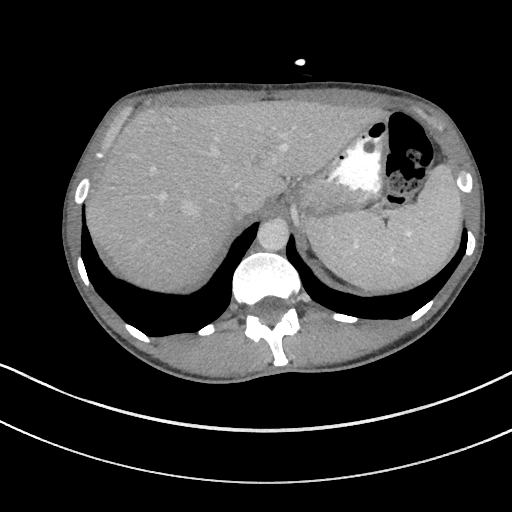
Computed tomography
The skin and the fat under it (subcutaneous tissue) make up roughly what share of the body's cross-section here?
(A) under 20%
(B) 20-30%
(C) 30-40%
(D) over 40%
Answer: (A) under 20%
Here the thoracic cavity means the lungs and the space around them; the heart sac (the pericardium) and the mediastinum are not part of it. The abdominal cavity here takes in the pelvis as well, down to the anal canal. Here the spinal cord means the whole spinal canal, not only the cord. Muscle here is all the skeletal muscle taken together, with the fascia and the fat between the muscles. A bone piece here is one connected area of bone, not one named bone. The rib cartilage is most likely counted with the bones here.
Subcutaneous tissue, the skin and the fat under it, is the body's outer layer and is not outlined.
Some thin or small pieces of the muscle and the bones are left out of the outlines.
abdominal cavity: 360,297 398,294 429,280 453,257 465,229 465,200 444,144 424,120 405,110 264,98 145,111 125,130 82,204 103,264 114,277 142,289 174,295 197,291 209,281 236,237 252,223 279,215 316,278 332,289
bones 1: 276,366 283,366 288,362 281,344 282,337 285,334 294,334 301,327 293,304 303,288 298,272 287,258 276,253 255,252 242,258 236,267 232,278 232,296 249,308 245,335 254,341 264,338 270,346 273,364, around a hole outlined by 269,326 273,326 279,320 282,314 285,312 287,309 288,305 287,304 287,302 284,299 282,299 275,296 267,296 266,297 264,297 261,300 257,302 253,306 252,308 252,312 260,319 260,321 261,322
bones 2: 97,158 102,158 104,157 106,151 111,146 111,144 114,140 117,133 119,131 122,124 125,121 126,118 133,109 132,106 130,105 125,106 110,124 108,129 105,133 104,138 102,140 101,149 95,153 95,156
bones 3: 79,205 81,205 81,204 87,196 87,194 89,191 89,189 90,188 90,186 91,185 90,180 88,177 84,177 79,182 79,183 76,188 76,190 75,191 75,194 74,195 74,201 77,204 78,204
bones 4: 465,193 469,193 472,190 472,178 471,177 471,175 469,172 468,172 463,169 461,169 460,170 459,170 459,171 457,174 457,178 456,179 457,180 457,183 458,184 458,185 459,186 460,189 463,192 464,192
bones 5: 144,342 149,342 150,341 150,338 148,336 147,336 144,333 143,333 140,330 139,330 134,326 129,324 127,322 124,322 124,326 125,327 125,328 130,333 130,334 131,334 134,337 135,337 136,338 137,338
bones 6: 86,286 89,286 91,284 91,283 88,278 88,276 87,275 87,273 86,272 86,270 84,266 84,263 83,262 82,257 81,255 79,255 77,258 77,268 79,272 79,275 82,281
bones 7: 412,321 414,320 416,320 418,318 419,318 422,315 423,315 430,308 430,307 432,305 434,301 434,298 432,298 430,300 429,300 425,304 424,304 421,307 420,307 417,310 416,310 410,315 410,319
bones 8: 440,131 441,131 443,129 443,125 439,121 436,120 432,117 430,117 428,116 422,110 420,109 418,109 417,110 418,113 420,115 421,115 422,117 423,117 428,122 428,123 431,124 434,127 435,127 438,130
spinal cord: 269,326 273,326 279,320 282,314 285,312 287,309 288,305 287,304 287,302 284,299 282,299 275,296 267,296 266,297 264,297 261,300 257,302 253,306 252,308 252,312 260,319 260,321 261,322
muscle: 214,377 279,367 272,364 273,357 264,339 254,342 244,335 248,308 232,297 228,308 213,322 216,330 207,336 196,332 180,333 150,337 149,343 134,338 124,328 123,319 92,285 86,287 78,275 76,258 81,253 81,206 73,201 78,182 84,176 93,181 133,119 140,112 156,107 219,105 264,97 299,98 346,106 398,107 419,117 416,110 420,108 439,120 444,125 441,132 429,125 441,137 456,172 463,168 473,178 473,190 464,193 464,197 466,228 476,238 474,252 462,258 435,295 431,308 413,322 409,316 396,320 360,318 355,323 338,322 330,316 333,311 313,301 301,289 294,306 302,327 294,335 283,337 283,348 289,360 285,366 337,363 377,350 418,328 442,306 476,255 479,186 461,139 441,112 401,96 359,89 306,88 172,90 129,98 110,113 83,158 69,194 66,232 75,272 98,313 130,343 172,367; inner edge: 97,158 102,158 104,157 106,151 111,146 111,144 114,140 117,133 119,131 122,124 125,121 126,118 133,109 132,106 130,105 125,106 110,124 108,129 105,133 104,138 102,140 101,149 95,153 95,156
mediastinum: 243,257 249,254 251,252 254,252 255,251 269,251 270,252 276,252 286,257 285,248 289,237 289,230 287,227 287,224 285,220 279,216 270,216 267,218 264,218 263,220 258,222 259,225 256,232 256,235
torso: 209,384 365,365 413,343 443,317 475,270 487,234 484,187 478,165 462,132 443,108 396,87 324,80 162,84 128,92 106,110 72,171 62,204 61,241 72,281 95,320 124,349 160,371
thoracic cavity 1: 149,336 196,331 212,322 227,308 231,299 232,273 252,241 258,223 252,224 236,238 225,259 205,286 188,296 174,296 142,290 114,278 100,261 91,243 84,223 82,206 81,254 92,284 98,293 125,321
thoracic cavity 2: 381,319 396,319 409,315 434,296 464,254 466,229 462,233 461,244 454,257 429,281 406,293 373,298 360,298 324,286 299,257 294,247 293,237 290,236 286,248 287,257 299,272 303,287 313,300 334,311